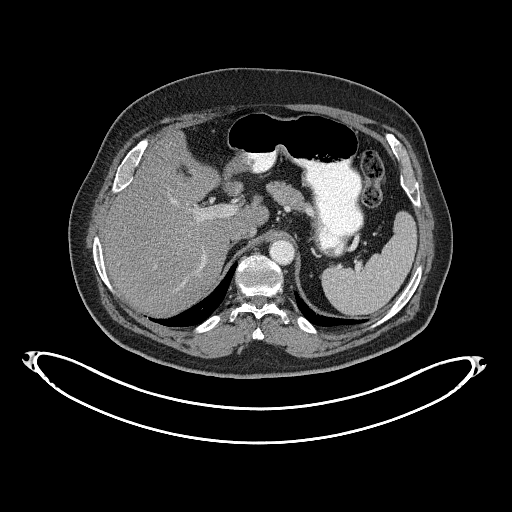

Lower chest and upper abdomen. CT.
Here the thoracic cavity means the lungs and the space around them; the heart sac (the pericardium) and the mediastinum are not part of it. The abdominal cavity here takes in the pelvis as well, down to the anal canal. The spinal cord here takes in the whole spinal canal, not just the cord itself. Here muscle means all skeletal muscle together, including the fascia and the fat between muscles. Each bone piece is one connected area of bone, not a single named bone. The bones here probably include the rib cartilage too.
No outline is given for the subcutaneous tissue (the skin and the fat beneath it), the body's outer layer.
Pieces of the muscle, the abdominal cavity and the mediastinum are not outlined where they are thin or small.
{"thoracic_cavity":[[[168,326],[193,326],[203,321],[211,315],[223,301],[231,284],[231,282],[233,280],[233,274],[237,263],[235,262],[231,266],[224,279],[201,302],[196,304],[191,308],[182,312],[180,314],[174,316],[172,318],[168,318],[167,319],[149,318],[155,322]],[[326,327],[334,327],[339,325],[353,325],[354,324],[366,322],[367,320],[344,320],[343,319],[330,318],[325,316],[320,316],[313,312],[301,299],[298,293],[295,291],[294,294],[294,300],[296,302],[301,314],[314,325],[316,326],[325,326]]],"abdominal_cavity":[[[368,321],[384,313],[407,284],[419,227],[387,151],[337,118],[254,107],[162,135],[146,148],[132,181],[116,194],[105,215],[100,239],[110,281],[123,301],[146,317],[172,317],[201,301],[246,251],[283,233],[298,248],[297,291],[307,305],[320,315]]],"torso":[[[244,379],[319,373],[369,359],[411,339],[427,325],[435,311],[453,251],[449,210],[417,122],[400,104],[373,88],[335,75],[285,68],[228,67],[179,78],[142,95],[120,112],[74,197],[68,221],[71,268],[84,305],[108,337],[121,347],[163,365]]],"mediastinum":[[[293,298],[294,291],[297,290],[294,278],[294,268],[297,248],[291,238],[283,234],[276,234],[265,240],[262,240],[261,242],[256,244],[253,248],[246,252],[244,255],[252,253],[261,253],[277,263],[282,269],[284,274],[285,278],[284,290],[290,297]]],"spinal_cord":[[[257,307],[261,307],[267,301],[267,298],[266,297],[265,297],[264,296],[253,296],[252,297],[251,297],[251,299],[250,300],[251,301],[251,302],[253,304],[254,304]]],"muscle":[{"outer":[[203,358],[232,358],[239,355],[249,344],[253,342],[254,340],[251,337],[251,333],[257,325],[260,326],[264,334],[264,338],[262,340],[264,342],[268,343],[270,345],[294,356],[310,358],[311,357],[318,357],[319,356],[329,355],[365,343],[377,337],[380,334],[392,327],[403,322],[408,321],[413,318],[415,314],[419,310],[419,304],[420,303],[420,297],[422,289],[427,278],[427,274],[431,268],[432,260],[434,256],[434,242],[433,241],[434,219],[426,197],[421,167],[409,141],[403,134],[395,128],[387,124],[376,121],[357,113],[327,105],[302,104],[301,103],[296,103],[295,104],[290,104],[289,103],[286,104],[284,103],[250,103],[249,104],[229,105],[223,107],[208,108],[195,112],[189,112],[173,116],[167,116],[134,133],[125,142],[114,157],[109,167],[102,186],[94,200],[94,203],[91,209],[91,213],[88,218],[88,222],[87,223],[87,234],[86,235],[87,255],[94,277],[94,280],[99,292],[101,303],[111,318],[122,326],[134,332],[149,337],[153,340],[175,348],[182,352]],"hole":[[314,334],[317,326],[353,325],[381,314],[370,325],[374,328],[396,314],[419,283],[422,265],[419,264],[412,272],[419,248],[419,227],[413,207],[421,206],[419,187],[401,142],[392,133],[384,134],[401,165],[399,171],[387,151],[369,135],[337,118],[282,107],[254,107],[170,132],[149,146],[149,137],[133,146],[116,169],[111,186],[116,195],[105,215],[101,235],[93,238],[93,260],[108,289],[151,320],[168,326],[193,326],[195,333],[209,330],[218,323],[221,314],[213,313],[233,280],[242,299],[231,310],[230,322],[240,312],[251,312],[257,319],[272,313],[287,324],[290,319],[286,310],[277,304],[276,298],[284,290],[300,310],[301,314],[296,317],[298,326]]}],"bones":[{"outer":[[284,324],[290,319],[286,310],[277,304],[276,298],[276,295],[283,291],[284,278],[281,269],[264,255],[244,256],[239,261],[234,274],[234,282],[242,299],[240,304],[231,310],[228,320],[232,322],[240,312],[251,312],[257,319],[272,313],[278,315]],"hole":[[257,307],[261,307],[267,301],[267,298],[266,297],[265,297],[264,296],[253,296],[252,297],[251,297],[251,299],[250,300],[251,301],[251,302],[253,304],[254,304]]},[[416,207],[420,207],[421,206],[420,196],[419,195],[419,187],[418,183],[413,174],[413,170],[411,167],[411,164],[409,161],[409,158],[407,155],[406,150],[401,142],[392,133],[386,132],[384,135],[394,155],[401,165],[400,169],[400,183],[413,205]],[[113,193],[117,193],[123,189],[131,181],[132,179],[132,173],[133,172],[133,170],[138,164],[140,160],[140,158],[149,142],[149,137],[145,137],[140,140],[127,152],[125,156],[122,159],[121,162],[116,169],[115,176],[111,186],[111,191]],[[370,328],[374,328],[376,326],[378,326],[380,324],[383,323],[396,314],[405,305],[411,297],[419,283],[419,281],[421,278],[421,275],[422,274],[422,265],[419,264],[417,266],[408,284],[393,305],[380,318],[377,319],[372,324],[371,324],[370,325]],[[114,294],[116,293],[115,290],[109,281],[109,279],[106,273],[105,266],[103,262],[103,256],[102,255],[102,250],[101,249],[100,240],[99,237],[97,235],[95,235],[93,238],[93,248],[92,249],[93,260],[96,266],[97,271],[103,282],[108,289]],[[195,333],[200,333],[201,332],[204,332],[214,327],[220,320],[220,318],[221,317],[220,316],[221,314],[220,313],[218,313],[217,314],[213,314],[203,322],[194,326],[193,328],[193,331]],[[314,334],[316,334],[317,333],[317,329],[316,328],[316,327],[315,326],[314,326],[310,322],[309,322],[303,316],[302,316],[301,315],[298,315],[296,317],[296,322],[297,323],[298,326],[304,331],[306,331],[307,332],[309,332],[310,333],[313,333]],[[257,340],[261,340],[263,338],[263,334],[262,333],[262,332],[261,331],[261,330],[260,329],[260,328],[259,327],[259,326],[257,326],[257,327],[253,331],[253,332],[252,333],[252,337],[254,339],[256,339]]]}